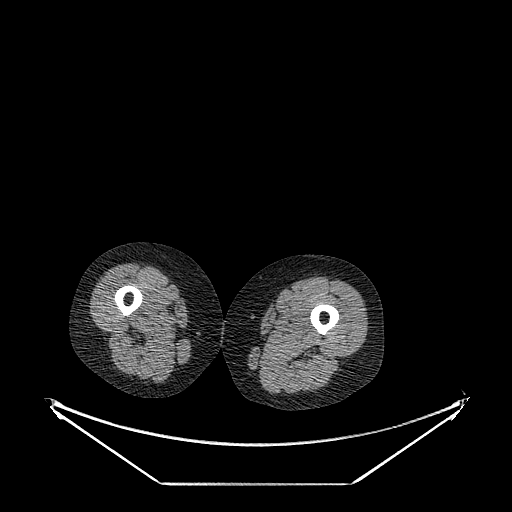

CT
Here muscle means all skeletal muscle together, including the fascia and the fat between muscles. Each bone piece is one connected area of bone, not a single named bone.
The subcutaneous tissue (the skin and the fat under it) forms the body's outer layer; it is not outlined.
The muscle appears in 2 outlined pieces: piece 1: 315 273; 324 273; 339 277; 352 285; 364 295; 369 313; 368 316; 369 328; 367 340; 363 347; 350 363; 344 375; 329 389; 309 398; 267 396; 263 394; 255 386; 245 372; 247 356; 253 340; 257 324; 272 298; 282 287; 301 275 with a hole at 319 304; 330 304; 334 306; 338 310; 338 312; 339 313; 339 319; 337 323; 334 327; 330 329; 325 334; 321 334; 319 333; 312 325; 310 321; 310 319; 309 318; 309 316; 310 315; 310 311; 311 309; 314 306; 316 306; piece 2: 127 261; 142 261; 148 262; 157 266; 172 277; 180 285; 185 293; 192 321; 191 363; 187 369; 161 387; 151 387; 147 385; 136 384; 115 373; 107 361; 101 342; 90 320; 88 313; 87 299; 91 286; 100 275; 113 264; 117 262 with a hole at 123 285; 132 285; 133 286; 135 286; 137 287; 141 291; 142 293; 142 301; 140 305; 130 314; 126 316; 124 316; 122 315; 122 313; 118 309; 118 308; 116 306; 113 300; 113 296; 114 295; 114 293; 115 291; 118 288; 119 288. The right leg is outlined by 138 241; 165 244; 190 256; 202 268; 211 281; 222 311; 220 349; 216 356; 188 387; 179 393; 167 397; 139 397; 126 393; 108 383; 89 369; 79 359; 71 346; 68 334; 70 305; 75 289; 85 269; 96 257; 108 249; 124 243. The bones appear in 2 outlined pieces: piece 1: 319 304; 330 304; 334 306; 338 310; 338 312; 339 313; 339 319; 337 323; 334 327; 330 329; 325 334; 321 334; 319 333; 312 325; 310 321; 310 319; 309 318; 309 316; 310 315; 310 311; 311 309; 314 306; 316 306; piece 2: 123 285; 132 285; 133 286; 135 286; 137 287; 141 291; 142 293; 142 301; 140 305; 130 314; 126 316; 124 316; 122 315; 122 313; 118 309; 118 308; 116 306; 113 300; 113 296; 114 295; 114 293; 115 291; 118 288; 119 288. The left leg is outlined by 297 254; 323 254; 335 256; 354 264; 367 275; 375 286; 382 304; 384 320; 384 355; 381 366; 374 378; 345 399; 337 403; 311 409; 283 410; 250 401; 237 389; 221 350; 222 321; 223 316; 226 315; 236 294; 255 273; 276 260.